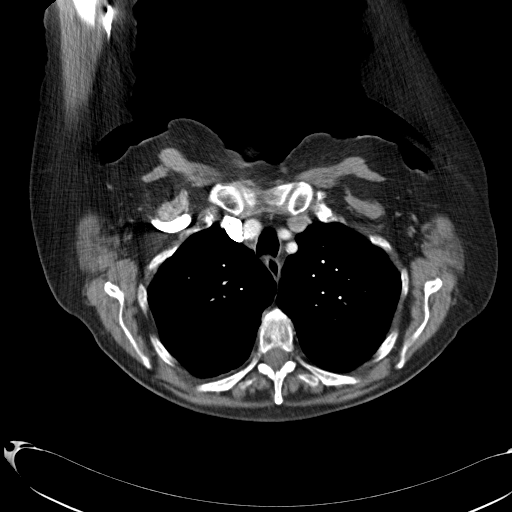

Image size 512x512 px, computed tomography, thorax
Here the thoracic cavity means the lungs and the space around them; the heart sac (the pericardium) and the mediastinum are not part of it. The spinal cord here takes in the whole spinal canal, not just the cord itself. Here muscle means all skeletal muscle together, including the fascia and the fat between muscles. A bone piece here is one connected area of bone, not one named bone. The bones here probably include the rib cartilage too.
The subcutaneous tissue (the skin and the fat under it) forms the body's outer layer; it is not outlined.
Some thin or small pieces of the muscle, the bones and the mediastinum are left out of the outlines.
right arm: 56,0 137,0 133,8 137,18 137,43 133,53 136,80 129,100 136,108 135,115 110,131 96,146 98,151 103,151 100,253 97,262 79,285 58,301 42,270 29,208 29,170 39,88 46,61 43,14
mediastinum: 261,203 279,208 284,206 285,210 293,215 304,212 312,205 312,212 317,219 295,235 297,250 285,258 277,285 266,266 256,257 254,252 230,238 217,222 224,214 224,210 237,215 244,212 246,208 252,210
torso: 179,117 203,123 234,150 260,141 259,157 274,164 314,132 377,135 396,143 412,168 431,167 488,187 498,269 486,307 404,384 316,417 283,422 228,419 186,409 146,389 57,302 99,260 102,162 115,160
bones 1: 275,307 291,320 295,346 307,362 359,382 328,386 320,381 312,387 297,377 305,370 298,365 282,382 279,405 272,380 256,368 245,376 254,377 245,389 236,384 225,391 196,391 250,361 262,315, around a hole outlined by 273,348 279,348 280,349 281,349 283,351 284,351 287,354 287,359 283,363 283,364 278,369 277,369 276,370 273,369 273,368 271,366 270,366 264,361 264,355 268,351 269,351 271,349 272,349
bones 2: 298,181 308,183 314,191 324,191 323,200 344,219 345,224 319,220 313,212 312,204 304,211 293,214 284,205 279,207 261,202 252,209 246,207 244,211 235,214 209,199 211,189 218,183 233,183 262,190
bones 3: 436,277 440,278 442,285 437,291 432,293 428,297 428,320 418,337 407,349 405,354 406,361 404,365 401,368 397,369 395,368 395,364 400,358 400,351 404,342 410,337 424,318 424,283 427,280 431,280
bones 4: 106,281 110,281 112,283 116,284 123,292 122,320 135,340 138,347 149,358 151,364 150,369 148,369 143,365 140,357 135,351 133,346 130,343 120,326 119,324 119,302 116,298 108,295 104,291 104,283
bones 5: 71,0 101,0 101,2 99,5 99,9 98,10 98,14 97,15 97,21 96,22 96,24 94,27 88,27 81,21 81,20 78,17 78,16 76,13 76,11 74,8 74,6 73,5 73,4 72,3
bones 6: 395,329 397,329 398,330 398,336 391,350 384,357 383,357 378,361 376,361 375,362 372,362 371,361 372,360 372,356 374,354 376,350 385,339 386,336 391,331
bones 7: 150,334 153,334 157,336 159,340 165,347 165,348 171,354 171,355 175,358 175,359 177,361 175,366 171,366 169,365 167,363 166,363 157,354 157,353 155,351 150,341 150,339 149,338 149,335
bones 8: 176,243 178,244 178,247 176,249 176,250 169,257 165,259 158,266 158,267 154,272 153,271 151,271 149,270 148,268 148,265 150,261 152,259 152,258 156,254 157,254 162,250 168,247 170,247
bones 9: 140,283 142,283 145,286 146,288 146,292 147,293 147,303 148,304 148,307 149,308 146,314 145,314 143,312 142,309 140,307 140,305 138,302 138,299 137,298 137,294 138,293 138,285
bones 10: 370,234 375,234 376,235 380,235 381,236 382,236 384,238 385,238 389,242 389,243 391,246 391,251 390,252 390,253 387,253 381,247 380,247 377,245 375,245 374,244 373,244 368,238 368,236
bones 11: 402,267 405,267 407,269 407,273 408,274 408,289 407,290 407,293 406,294 406,295 403,298 401,298 400,297 400,294 401,293 401,276 400,275 400,269
muscle 1: 169,147 190,160 265,181 349,156 364,158 387,178 377,183 376,200 386,211 387,237 398,251 412,251 420,242 421,226 438,213 455,226 464,272 443,323 403,368 369,393 336,404 283,405 283,382 298,366 304,370 296,377 312,388 320,382 354,385 360,378 346,373 370,358 378,362 392,350 399,330 389,330 399,299 408,293 408,269 396,267 385,237 367,237 347,225 324,200 326,192 306,181 262,189 218,182 208,199 223,214 213,222 207,208 203,228 151,258 147,268 153,275 146,287 137,285 137,302 145,315 149,309 157,330 149,341 169,366 178,363 196,377 209,378 249,360 231,374 197,384 196,392 225,392 236,385 245,390 255,380 246,376 256,369 271,380 275,404 210,407 178,397 104,330 96,309 83,297 75,249 76,228 88,210 113,229 119,248 141,268 163,245 166,229 148,211 148,192 140,177; inner edges: 436,277 440,278 442,285 437,291 432,293 428,297 428,320 418,337 407,349 405,354 406,361 404,365 401,368 397,369 395,368 395,364 400,358 400,351 404,342 410,337 424,318 424,283 427,280 431,280, then 106,281 110,281 112,283 116,284 123,292 122,320 135,340 138,347 149,358 151,364 150,369 148,369 143,365 140,357 135,351 133,346 130,343 120,326 119,324 119,302 116,298 108,295 104,291 104,283
muscle 2: 56,0 70,0 77,17 88,28 94,28 96,26 102,0 125,0 126,2 125,8 117,15 115,19 114,36 100,55 97,72 87,106 75,122 66,124 62,106 61,63 55,18 56,11 54,4 52,3
left arm: 350,0 407,1 411,18 419,31 423,44 477,143 485,166 488,186 455,178 432,167 428,157 403,137 399,131 414,133 414,130 389,109 366,95 358,79 357,65 367,44 360,39 356,29 360,8
spinal cord: 273,348 279,348 280,349 281,349 283,351 284,351 287,354 287,359 283,363 283,364 278,369 277,369 276,370 273,369 273,368 271,366 270,366 264,361 264,355 268,351 269,351 271,349 272,349
thoracic cavity: 317,220 354,229 388,254 399,271 400,293 391,323 371,357 345,373 307,361 275,294 261,315 244,364 199,377 179,363 158,336 147,287 186,238 217,223 230,239 253,252 277,286 286,258 298,250 296,235